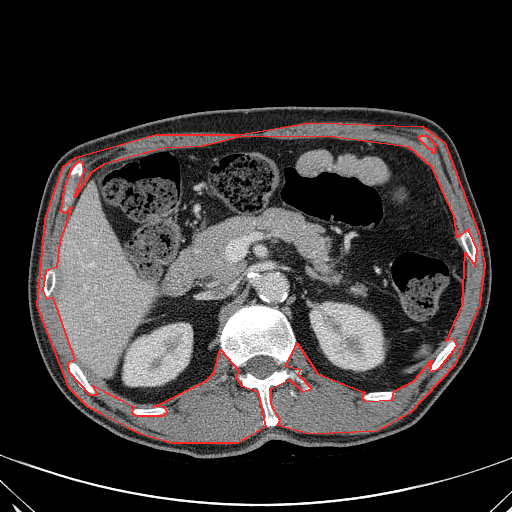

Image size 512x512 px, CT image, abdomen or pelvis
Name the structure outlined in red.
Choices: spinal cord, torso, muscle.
red: muscle.
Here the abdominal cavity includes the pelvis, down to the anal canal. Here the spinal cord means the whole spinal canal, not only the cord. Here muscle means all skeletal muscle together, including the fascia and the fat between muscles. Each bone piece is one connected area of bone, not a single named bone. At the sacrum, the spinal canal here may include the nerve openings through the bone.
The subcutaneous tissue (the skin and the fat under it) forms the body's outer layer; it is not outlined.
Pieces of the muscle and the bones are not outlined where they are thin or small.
Outlined structures:
muscle: [[310,122],[422,126],[444,142],[478,232],[484,264],[479,305],[454,365],[409,413],[377,431],[309,434],[277,425],[280,420],[271,404],[271,388],[289,379],[302,391],[311,388],[298,374],[300,370],[285,366],[297,343],[317,373],[364,392],[361,397],[365,401],[392,399],[394,390],[414,380],[431,360],[429,371],[439,368],[457,345],[453,338],[446,341],[462,305],[465,252],[475,266],[477,249],[468,229],[457,237],[454,216],[432,167],[409,147],[327,136],[238,137],[202,146],[163,148],[103,164],[90,173],[74,197],[84,171],[83,163],[78,161],[70,169],[63,189],[60,210],[65,213],[71,207],[59,241],[56,267],[45,271],[42,290],[46,298],[52,297],[74,360],[67,363],[68,371],[89,394],[97,394],[93,385],[133,406],[131,412],[135,415],[162,415],[167,412],[165,407],[154,406],[206,380],[214,372],[220,349],[238,370],[235,377],[241,385],[257,391],[265,427],[237,443],[171,443],[140,434],[88,407],[69,388],[37,305],[45,219],[63,166],[75,157],[155,134],[239,134]]; inner edge: [[421,135],[426,135],[427,136],[428,136],[429,137],[429,138],[435,144],[435,146],[434,147],[434,149],[435,150],[434,151],[434,153],[432,153],[432,150],[431,149],[429,149],[419,139],[419,136],[420,136]]
spinal cord: [[259,355],[263,355],[264,356],[270,356],[272,357],[276,361],[276,364],[279,367],[279,368],[277,370],[272,372],[268,376],[264,378],[258,378],[251,373],[247,372],[245,370],[245,366],[246,365],[246,362],[249,359],[252,358],[254,356],[258,356]]
bones 1: [[253,303],[276,307],[285,315],[296,343],[284,366],[300,371],[297,374],[310,385],[302,390],[297,381],[289,378],[272,386],[270,404],[279,420],[268,427],[262,423],[265,414],[258,391],[242,385],[236,377],[239,370],[224,355],[219,341],[228,318]]; inner edge: [[259,355],[263,355],[264,356],[270,356],[272,357],[276,361],[276,364],[279,367],[279,368],[277,370],[272,372],[268,376],[264,378],[258,378],[251,373],[247,372],[245,370],[245,366],[246,365],[246,362],[249,359],[252,358],[254,356],[258,356]]
bones 2: [[78,162],[81,162],[82,163],[82,170],[83,171],[82,172],[82,174],[78,179],[76,188],[73,191],[73,199],[67,210],[65,212],[63,212],[61,210],[61,207],[62,206],[62,199],[63,198],[64,189],[66,185],[66,181],[71,169]]
bones 3: [[70,361],[73,361],[75,362],[78,365],[78,366],[84,374],[85,377],[87,379],[89,383],[95,390],[96,392],[96,394],[93,395],[89,393],[84,389],[83,389],[73,378],[68,368],[68,363]]
bones 4: [[464,230],[468,230],[470,232],[470,233],[472,235],[472,237],[473,238],[473,240],[475,244],[475,248],[476,249],[476,263],[475,265],[472,265],[472,264],[470,262],[469,258],[464,248],[462,246],[461,242],[458,237],[458,234],[459,234]]
bones 5: [[452,339],[455,340],[456,342],[456,345],[453,351],[448,357],[448,358],[439,367],[438,367],[434,371],[431,372],[430,371],[430,367],[431,366],[431,364],[433,362],[433,361],[435,359],[437,355],[444,348],[444,347],[448,343],[448,342]]
bones 6: [[50,268],[52,268],[55,271],[55,273],[56,274],[55,276],[55,284],[54,285],[54,287],[53,288],[53,290],[51,294],[49,296],[46,297],[44,294],[44,291],[43,290],[43,280],[44,279],[44,276],[45,275],[45,273],[46,271]]
bones 7: [[391,390],[394,391],[394,392],[395,393],[394,396],[390,399],[387,399],[386,400],[383,400],[382,401],[376,401],[375,400],[365,400],[362,397],[362,395],[363,394],[364,394],[365,393],[367,393],[368,392],[375,392],[376,391],[390,391]]
bones 8: [[151,407],[164,407],[164,409],[166,411],[166,412],[165,412],[164,413],[163,413],[162,414],[160,414],[159,415],[156,415],[155,416],[141,416],[140,415],[138,415],[137,414],[135,414],[133,412],[132,412],[132,409],[133,409],[134,408],[150,408]]
bones 9: [[421,135],[426,135],[427,136],[428,136],[429,137],[429,138],[435,144],[435,146],[434,147],[434,149],[435,150],[434,151],[434,153],[432,153],[432,150],[431,149],[429,149],[419,139],[419,136],[420,136]]
torso: [[268,106],[400,110],[425,116],[447,132],[481,215],[491,257],[491,291],[477,343],[459,372],[413,425],[369,442],[306,447],[272,439],[243,454],[197,458],[122,438],[66,398],[50,376],[34,336],[28,269],[47,178],[68,150],[118,130],[192,112]]
abdominal cavity: [[252,137],[386,142],[409,148],[431,167],[466,262],[461,305],[445,345],[407,384],[359,391],[317,372],[286,315],[276,306],[253,302],[225,321],[213,372],[165,403],[134,407],[92,385],[74,361],[52,296],[58,249],[78,190],[92,172],[109,163]]